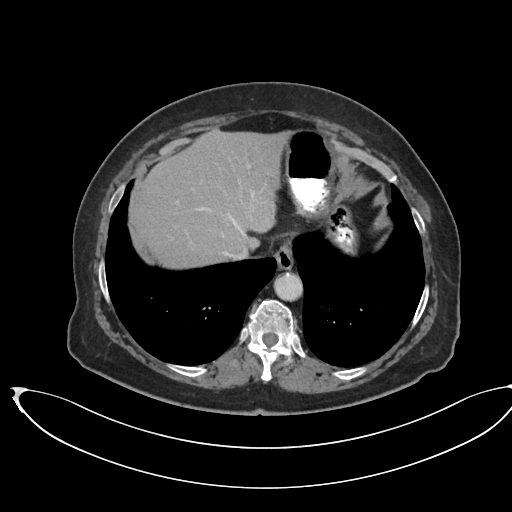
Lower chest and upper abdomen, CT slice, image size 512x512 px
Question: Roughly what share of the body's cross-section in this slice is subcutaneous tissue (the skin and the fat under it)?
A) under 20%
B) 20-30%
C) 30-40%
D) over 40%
Answer: B) 20-30%
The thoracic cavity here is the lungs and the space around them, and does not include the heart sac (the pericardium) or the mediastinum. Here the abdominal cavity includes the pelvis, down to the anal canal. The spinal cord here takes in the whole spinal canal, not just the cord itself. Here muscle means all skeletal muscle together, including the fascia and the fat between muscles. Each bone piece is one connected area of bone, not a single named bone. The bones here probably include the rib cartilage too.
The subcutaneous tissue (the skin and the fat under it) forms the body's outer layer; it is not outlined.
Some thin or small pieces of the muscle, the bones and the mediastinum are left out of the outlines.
{"bones":[{"outer":[[263,299],[278,300],[291,310],[295,320],[296,331],[307,353],[304,358],[295,352],[289,356],[279,355],[270,366],[272,377],[268,381],[261,379],[263,363],[260,357],[256,353],[249,351],[245,343],[238,343],[239,334],[248,320],[247,313],[253,312]],"hole":[[266,333],[273,333],[274,334],[275,334],[277,336],[277,341],[273,345],[272,345],[271,346],[268,346],[263,341],[263,339],[262,338],[262,337],[263,336],[263,335],[264,334],[265,334]]},[[336,140],[347,146],[351,146],[352,147],[360,148],[384,162],[397,176],[397,184],[396,185],[393,183],[388,182],[381,174],[380,174],[375,169],[372,168],[364,162],[355,158],[348,157],[345,153],[337,147],[335,142]],[[166,362],[173,363],[174,364],[178,364],[179,365],[183,365],[184,366],[198,366],[199,365],[203,365],[207,368],[207,371],[201,375],[199,375],[195,377],[191,377],[190,376],[187,376],[186,375],[181,374],[178,372],[176,372],[172,370],[166,366]],[[425,283],[428,283],[429,284],[429,295],[428,296],[428,299],[427,300],[425,308],[418,322],[416,324],[416,325],[412,329],[411,329],[410,328],[410,323],[414,315],[416,308],[419,303],[419,301],[420,300],[420,298],[421,297]],[[101,257],[104,257],[104,263],[105,264],[105,277],[106,278],[106,281],[107,282],[108,292],[109,293],[109,296],[111,300],[112,306],[109,305],[106,302],[104,298],[104,296],[101,291],[101,289],[99,285],[99,282],[98,281],[98,264]],[[362,365],[366,365],[367,366],[367,370],[361,375],[357,376],[356,377],[354,377],[351,379],[343,380],[332,375],[331,373],[333,371],[335,371],[336,370],[340,370],[341,369],[348,369],[349,368],[353,368],[354,367],[357,367],[358,366],[361,366]],[[122,182],[127,182],[127,184],[126,185],[126,187],[123,192],[123,194],[121,198],[119,200],[117,205],[115,207],[111,215],[108,213],[108,205],[109,204],[109,201],[115,189]],[[411,206],[413,206],[417,209],[417,210],[420,213],[424,221],[424,224],[425,225],[425,232],[422,236],[420,236],[418,232],[418,230],[415,225],[415,223],[413,219],[413,216],[411,213],[411,210],[410,209],[410,207]],[[184,137],[185,137],[186,138],[188,138],[190,140],[188,142],[187,142],[185,144],[183,144],[182,145],[177,146],[163,154],[159,154],[159,150],[163,146],[164,146],[166,144],[167,144],[169,142],[170,142],[171,141],[176,140],[179,138],[183,138]]],"abdominal_cavity":[[[264,114],[280,114],[313,124],[335,143],[345,162],[348,181],[363,188],[383,185],[380,196],[386,202],[394,226],[381,250],[374,255],[348,257],[315,231],[282,235],[274,240],[269,254],[255,259],[181,271],[142,261],[127,227],[134,178],[196,135]]],"torso":[[[249,81],[298,82],[344,94],[391,123],[428,168],[452,212],[461,250],[459,335],[442,369],[393,393],[343,408],[294,415],[235,415],[154,399],[84,368],[70,355],[67,325],[76,301],[73,228],[82,196],[101,162],[132,127],[158,108],[200,90]]],"spinal_cord":[[[266,333],[273,333],[274,334],[275,334],[277,336],[277,341],[273,345],[272,345],[271,346],[268,346],[263,341],[263,339],[262,338],[262,337],[263,336],[263,335],[264,334],[265,334]]],"muscle":[{"outer":[[248,109],[284,109],[285,110],[304,111],[309,114],[316,115],[345,126],[358,134],[362,138],[376,146],[388,157],[392,159],[410,179],[424,197],[430,207],[433,244],[434,245],[434,254],[436,260],[436,267],[437,268],[437,274],[439,282],[438,307],[437,308],[436,316],[428,332],[409,351],[397,362],[394,363],[386,370],[369,381],[362,383],[357,386],[346,389],[330,391],[329,392],[323,392],[322,393],[312,393],[311,394],[285,391],[278,386],[273,385],[269,382],[268,383],[263,383],[262,382],[249,383],[242,386],[236,386],[232,388],[224,388],[220,390],[213,390],[212,389],[198,387],[167,377],[151,369],[142,363],[125,349],[113,342],[105,334],[95,318],[94,308],[93,307],[93,290],[92,289],[92,280],[91,279],[91,269],[92,268],[92,253],[93,252],[93,246],[94,245],[94,240],[95,239],[95,234],[96,233],[96,228],[98,221],[99,209],[109,182],[126,158],[134,150],[150,138],[184,122],[202,117],[206,117],[217,114],[223,114],[228,112],[243,111]],"hole":[[264,114],[280,114],[311,123],[332,141],[360,148],[384,162],[397,176],[396,186],[407,205],[416,208],[424,221],[425,232],[420,241],[424,282],[429,284],[425,308],[412,329],[409,324],[385,352],[364,364],[367,366],[364,373],[351,379],[332,375],[333,371],[343,368],[318,358],[302,342],[307,356],[303,358],[295,352],[289,356],[279,355],[270,366],[271,379],[264,381],[260,357],[237,339],[218,357],[203,364],[207,368],[205,373],[195,377],[181,374],[167,367],[165,361],[134,339],[114,306],[106,302],[99,285],[98,264],[106,253],[111,219],[108,205],[115,189],[122,182],[133,180],[163,156],[159,150],[169,142],[184,137],[190,139]]}],"thoracic_cavity":[[[390,184],[395,185],[403,196],[420,237],[424,264],[422,291],[409,324],[385,352],[361,365],[348,368],[335,366],[311,353],[297,331],[298,322],[302,321],[304,284],[292,252],[293,241],[318,232],[348,258],[377,255],[395,226],[388,211],[392,201]],[[131,180],[133,180],[133,184],[127,204],[126,227],[135,253],[147,266],[181,272],[243,260],[266,257],[275,259],[274,273],[251,302],[237,339],[223,353],[209,362],[198,365],[184,365],[156,357],[134,339],[114,308],[106,277],[106,244],[111,216]]],"mediastinum":[[[289,235],[300,236],[296,237],[291,245],[291,252],[296,260],[297,271],[303,284],[301,321],[297,322],[297,328],[292,310],[275,298],[263,298],[253,311],[248,312],[252,302],[273,277],[276,270],[276,259],[273,256],[266,256],[273,251],[276,239]],[[338,149],[345,154],[348,158],[358,160],[369,166],[381,175],[389,183],[389,191],[390,192],[391,201],[387,207],[387,210],[386,207],[387,202],[381,196],[384,185],[379,182],[369,185],[366,187],[363,187],[358,182],[351,182],[348,180],[346,162]]]}